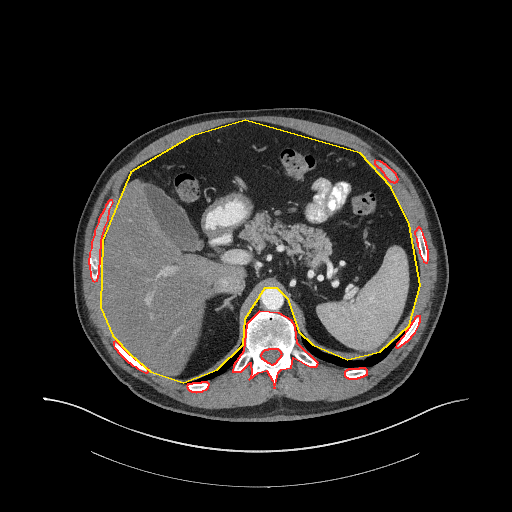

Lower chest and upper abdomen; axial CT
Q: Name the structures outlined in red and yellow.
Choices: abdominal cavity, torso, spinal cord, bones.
A: red: bones; yellow: abdominal cavity.
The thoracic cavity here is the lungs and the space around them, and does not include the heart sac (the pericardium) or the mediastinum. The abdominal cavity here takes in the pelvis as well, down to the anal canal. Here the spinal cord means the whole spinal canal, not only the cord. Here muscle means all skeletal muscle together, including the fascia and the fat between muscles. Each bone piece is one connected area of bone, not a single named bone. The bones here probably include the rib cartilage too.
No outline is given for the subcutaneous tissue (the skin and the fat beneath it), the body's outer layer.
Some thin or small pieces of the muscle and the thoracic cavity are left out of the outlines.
Outlines:
bones 1: 274,388 278,372 281,369 291,367 293,357 310,366 316,366 318,363 297,343 295,326 291,320 279,313 259,311 246,324 243,351 233,365 232,371 241,371 250,362 251,373 249,379 258,372 266,370 272,380, around a hole outlined by 271,364 273,364 274,363 275,363 277,361 277,360 281,356 281,355 282,354 281,353 281,352 278,349 268,349 267,350 264,350 261,353 261,354 260,355 261,358 262,358 264,360 265,360 267,362 268,362
bones 2: 94,281 97,280 99,273 101,240 105,226 108,220 109,210 113,202 112,200 109,200 105,205 104,209 98,219 98,222 94,230 94,234 91,242 91,248 89,252 88,263 89,264 90,276 92,280
bones 3: 425,262 427,262 428,260 428,250 427,249 427,246 426,245 426,242 425,241 425,239 424,238 423,233 421,229 419,227 418,227 414,232 414,234 416,238 416,241 417,242 417,246 419,250 419,253 423,261
bones 4: 145,372 147,372 148,371 148,369 147,368 146,368 143,365 142,365 137,360 136,360 131,355 130,355 117,342 115,341 113,342 113,345 114,347 117,350 117,351 128,362 129,362 132,365 135,366 137,368
bones 5: 396,347 398,347 400,346 406,341 407,341 415,332 419,324 419,322 420,321 420,316 416,316 414,318 413,321 411,323 411,324 409,326 409,327 407,329 407,330 405,332 403,336 396,344 395,346
bones 6: 393,182 395,182 396,181 397,181 397,180 398,179 396,174 385,164 384,164 382,162 381,162 380,161 375,160 374,161 374,163 378,167 379,167 380,168 380,169 383,172 384,175 390,181 392,181
bones 7: 348,378 357,378 358,377 360,377 361,376 363,376 364,375 365,375 366,374 367,374 367,370 365,368 359,368 358,369 348,369 347,370 346,370 344,372 344,375 346,377 347,377
bones 8: 196,392 197,391 202,391 203,390 206,389 208,387 209,384 207,382 201,382 200,383 192,383 191,384 187,384 187,385 186,386 187,387 187,388 189,390 190,390 191,391 195,391
abdominal cavity: 183,382 217,369 243,344 245,318 265,287 276,287 287,298 298,331 312,344 347,359 380,351 409,325 420,285 409,224 391,187 360,153 245,120 191,136 130,172 102,240 100,307 112,335 130,354 150,371
mediastinum: 296,331 297,331 296,322 288,306 286,298 281,293 281,292 276,288 265,288 263,289 252,305 246,318 246,322 247,320 257,311 259,310 269,310 270,311 279,312 282,314 284,314 291,319 294,322 296,326
spinal cord: 271,364 273,364 274,363 275,363 277,361 277,360 281,356 281,355 282,354 281,353 281,352 278,349 268,349 267,350 264,350 261,353 261,354 260,355 261,358 262,358 264,360 265,360 267,362 268,362
thoracic cavity 1: 347,367 365,367 366,366 371,366 375,364 381,360 390,351 402,336 407,328 391,344 380,352 364,360 356,360 355,361 347,360 322,352 312,345 301,334 301,338 304,346 315,356 326,360 331,363 334,363
thoracic cavity 2: 185,383 191,383 192,382 200,382 201,381 206,381 208,379 210,379 222,373 232,366 232,365 235,362 241,353 243,345 242,344 239,346 238,349 234,353 230,359 217,370 201,378 199,378 189,382 186,382
muscle: 210,409 233,408 239,406 257,405 265,402 268,399 271,398 274,394 280,394 285,397 300,401 317,401 318,400 322,401 336,401 349,398 360,394 373,387 380,380 384,378 392,370 399,365 419,341 421,335 425,329 430,314 430,310 432,305 432,298 434,295 433,292 435,288 435,282 437,279 437,252 433,244 431,235 428,228 428,222 426,218 425,210 413,184 404,171 391,160 378,152 369,144 356,135 336,127 328,126 308,120 292,118 291,117 284,117 283,116 274,116 273,115 225,117 224,118 217,118 216,119 201,121 176,129 147,145 138,152 130,161 117,170 110,177 99,194 94,204 92,212 85,229 83,257 82,258 82,289 83,290 83,295 86,306 89,312 89,317 93,325 96,328 97,333 107,350 108,354 111,357 112,360 119,367 125,370 134,377 147,383 159,392 165,394 180,402 196,407 209,408; inner edges: 196,392 208,387 208,379 230,367 234,372 241,371 249,362 249,379 266,370 274,388 278,372 291,367 293,357 304,364 316,366 317,361 297,343 297,331 301,333 304,346 315,356 331,363 358,367 344,372 348,378 367,374 366,366 381,360 394,346 400,346 415,332 420,321 420,316 415,315 420,268 409,224 391,187 360,153 349,147 279,125 250,120 236,121 191,136 133,169 118,191 117,210 106,230 113,202 107,202 94,230 88,263 92,280 96,281 100,274 98,299 106,324 116,340 113,345 137,368 182,381 187,384 189,390, then 425,262 427,262 428,260 428,250 427,249 427,246 426,245 426,242 425,241 425,239 424,238 423,233 421,229 419,227 418,227 414,232 414,234 416,238 416,241 417,242 417,246 419,250 419,253 423,261, then 393,182 395,182 396,181 397,181 397,180 398,179 396,174 385,164 384,164 382,162 381,162 380,161 375,160 374,161 374,163 378,167 379,167 380,168 380,169 383,172 384,175 390,181 392,181
torso: 234,422 319,417 387,396 416,367 441,313 449,265 430,194 390,141 348,117 316,108 272,107 209,111 164,123 139,135 112,157 95,181 81,212 73,245 74,301 81,327 98,355 122,383 148,402 178,413